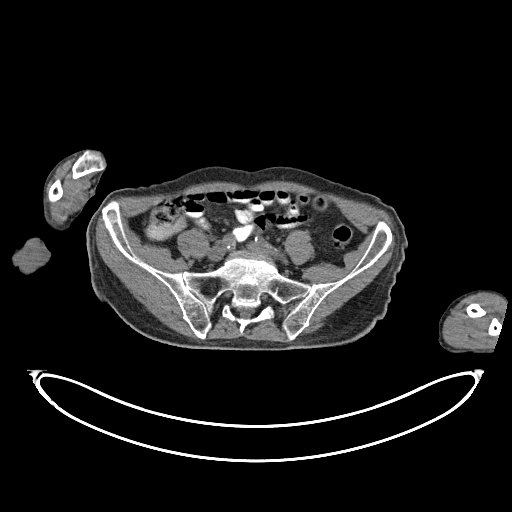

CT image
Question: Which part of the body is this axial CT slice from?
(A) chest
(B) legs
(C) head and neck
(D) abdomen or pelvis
Answer: (D) abdomen or pelvis
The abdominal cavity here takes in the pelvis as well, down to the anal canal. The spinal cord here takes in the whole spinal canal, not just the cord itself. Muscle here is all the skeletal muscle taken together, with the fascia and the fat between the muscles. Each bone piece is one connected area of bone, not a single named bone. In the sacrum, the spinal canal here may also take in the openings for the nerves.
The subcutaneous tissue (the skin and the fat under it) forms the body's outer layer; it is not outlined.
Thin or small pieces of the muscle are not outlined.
{"left_arm":[[[480,288],[489,288],[497,290],[501,292],[507,298],[507,304],[505,308],[505,314],[501,324],[501,329],[497,338],[497,341],[494,346],[493,351],[491,353],[450,353],[441,347],[438,342],[438,322],[439,319],[450,302],[456,297],[468,291]]],"spinal_cord":[[[224,291],[231,292],[230,295],[231,303],[234,307],[238,309],[244,308],[255,310],[262,303],[261,296],[264,293],[269,294],[273,299],[273,301],[268,303],[265,306],[263,306],[256,315],[249,318],[244,318],[235,316],[231,310],[229,304],[219,299]]],"muscle":[[[272,180],[296,182],[313,187],[323,192],[330,192],[348,199],[367,202],[387,212],[391,216],[396,228],[396,244],[392,256],[373,280],[335,312],[329,315],[326,318],[325,323],[319,329],[295,340],[310,324],[310,320],[316,309],[330,293],[372,266],[389,248],[392,243],[393,234],[391,228],[384,220],[380,219],[376,222],[367,246],[349,272],[336,280],[308,283],[301,280],[303,269],[321,262],[328,262],[336,266],[343,267],[345,265],[344,255],[355,250],[366,236],[365,232],[356,226],[333,201],[326,197],[315,193],[290,191],[285,189],[256,189],[247,187],[241,189],[193,191],[187,193],[176,192],[159,199],[145,210],[131,216],[128,219],[129,227],[138,236],[143,244],[167,248],[171,256],[175,259],[182,256],[177,245],[177,238],[182,232],[191,229],[197,230],[206,236],[208,242],[207,251],[203,256],[185,258],[185,265],[188,270],[177,272],[169,272],[156,268],[141,259],[134,252],[123,226],[120,204],[116,199],[111,199],[117,196],[144,196],[166,193],[204,182],[225,181],[251,185]],[[100,214],[101,214],[101,218],[104,227],[115,247],[129,261],[145,270],[167,287],[179,306],[182,314],[182,318],[187,323],[194,335],[201,340],[195,340],[188,336],[178,333],[160,322],[130,294],[118,278],[104,263],[98,252],[95,239],[96,224]],{"outer":[[479,292],[494,293],[500,296],[507,303],[502,323],[494,316],[491,318],[487,328],[487,333],[490,336],[494,337],[498,336],[494,348],[493,349],[469,349],[458,348],[448,344],[444,340],[442,333],[443,323],[445,319],[450,314],[451,309],[462,299]],"hole":[[471,303],[477,303],[478,304],[479,304],[479,305],[483,309],[484,309],[484,310],[485,311],[485,314],[484,315],[483,315],[482,316],[480,316],[479,317],[470,317],[468,315],[468,314],[466,311],[466,308],[467,307],[467,306],[468,305],[469,305]]},[[293,302],[295,302],[294,305],[281,322],[281,328],[285,333],[286,340],[291,342],[255,340],[241,336],[205,339],[212,327],[211,315],[215,308],[219,309],[223,318],[236,322],[239,333],[242,335],[248,325],[272,319],[276,313],[276,304],[285,306]],{"outer":[[76,157],[71,166],[71,177],[73,179],[78,179],[92,173],[96,173],[97,175],[95,177],[92,186],[85,198],[81,202],[79,207],[70,215],[68,215],[61,224],[55,224],[51,221],[50,213],[46,203],[46,189],[49,181],[58,167],[67,160]],"hole":[[57,178],[59,178],[61,180],[61,183],[62,184],[62,190],[63,191],[62,192],[62,195],[61,196],[61,197],[56,201],[54,201],[53,202],[50,202],[48,200],[48,190],[49,189],[49,188],[50,187],[50,186],[52,184],[52,183]]},[[294,230],[306,230],[308,231],[309,235],[310,236],[310,242],[313,246],[313,249],[314,250],[314,254],[313,255],[313,257],[311,259],[299,265],[295,265],[292,262],[288,254],[286,253],[285,251],[285,248],[284,247],[284,242],[286,238],[288,235]]],"abdominal_cavity":[{"outer":[[247,188],[326,198],[365,236],[343,255],[343,266],[313,263],[300,280],[282,274],[269,256],[246,249],[232,251],[214,269],[189,270],[185,259],[208,251],[205,234],[182,231],[176,238],[181,256],[174,258],[167,247],[143,243],[129,219],[172,194]],"hole":[[294,230],[306,230],[308,231],[309,235],[310,236],[310,242],[313,246],[313,249],[314,250],[314,254],[313,255],[313,257],[311,259],[299,265],[295,265],[292,262],[288,254],[286,253],[285,251],[285,248],[284,247],[284,242],[286,238],[288,235]]}],"bones":[{"outer":[[110,200],[119,204],[133,252],[169,273],[211,271],[246,250],[269,257],[286,277],[327,283],[351,271],[378,221],[392,239],[321,301],[293,340],[282,322],[295,301],[276,303],[272,318],[242,334],[215,307],[201,339],[168,287],[112,241],[101,213]],"hole":[[224,291],[231,292],[230,295],[231,303],[234,307],[238,309],[244,308],[255,310],[262,303],[261,296],[264,293],[269,294],[273,299],[273,301],[268,303],[265,306],[263,306],[256,315],[249,318],[244,318],[235,316],[231,310],[229,304],[219,299]]},[[86,150],[89,150],[90,151],[92,151],[93,152],[95,152],[96,153],[100,154],[102,156],[105,162],[105,167],[100,171],[98,171],[97,172],[92,172],[91,173],[86,174],[83,176],[81,176],[78,178],[73,178],[72,177],[72,166],[76,159]],[[57,178],[59,178],[61,180],[61,183],[62,184],[62,190],[63,191],[62,192],[62,195],[61,196],[61,197],[56,201],[54,201],[53,202],[50,202],[48,200],[48,190],[49,189],[49,188],[50,187],[50,186],[52,184],[52,183]],[[471,303],[477,303],[478,304],[479,304],[479,305],[483,309],[484,309],[484,310],[485,311],[485,314],[484,315],[483,315],[482,316],[480,316],[479,317],[470,317],[468,315],[468,314],[466,311],[466,308],[467,307],[467,306],[468,305],[469,305]],[[494,317],[495,317],[499,321],[499,322],[501,324],[501,329],[500,330],[500,332],[499,333],[499,335],[497,335],[496,336],[494,336],[493,335],[490,335],[488,333],[488,328],[489,327],[489,325],[490,324],[490,322],[491,321],[492,318],[493,318]]],"right_arm":[[[86,148],[93,148],[100,150],[105,157],[106,165],[99,180],[94,195],[87,201],[83,207],[82,211],[75,218],[68,229],[65,231],[57,231],[47,225],[45,222],[43,215],[43,211],[42,210],[42,189],[45,179],[48,173],[59,160],[73,152]],[[32,237],[38,237],[43,241],[46,247],[50,251],[51,253],[51,257],[49,261],[43,267],[38,269],[35,272],[29,275],[24,275],[22,274],[17,268],[14,267],[12,265],[11,262],[11,256],[13,253],[13,251],[16,248],[21,246],[29,238]]],"torso":[[[207,165],[246,170],[274,165],[294,166],[371,193],[391,205],[405,228],[407,248],[383,318],[368,333],[350,344],[334,348],[291,350],[178,347],[145,337],[120,319],[109,306],[99,300],[91,283],[85,237],[91,216],[103,198],[113,190],[160,182]]]}